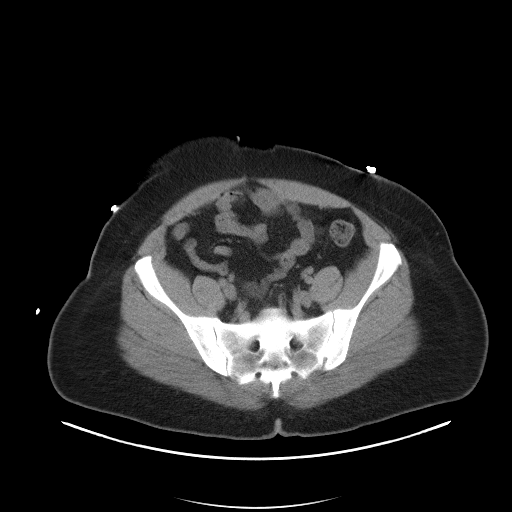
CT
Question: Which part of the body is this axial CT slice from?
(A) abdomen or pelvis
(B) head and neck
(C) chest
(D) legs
Answer: (A) abdomen or pelvis
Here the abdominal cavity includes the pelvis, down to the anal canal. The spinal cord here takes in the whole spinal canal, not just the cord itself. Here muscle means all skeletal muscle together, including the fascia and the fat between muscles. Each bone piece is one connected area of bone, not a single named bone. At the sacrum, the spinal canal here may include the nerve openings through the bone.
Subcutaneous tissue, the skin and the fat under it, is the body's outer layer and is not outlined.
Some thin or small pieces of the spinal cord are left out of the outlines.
{"abdominal_cavity":[[[247,182],[267,186],[284,199],[349,208],[359,219],[368,247],[364,254],[344,276],[335,265],[327,265],[311,280],[309,295],[322,313],[292,317],[271,305],[245,321],[224,321],[215,315],[225,304],[220,282],[198,274],[191,283],[165,259],[168,226]]],"torso":[[[206,133],[239,136],[262,147],[280,142],[319,152],[397,181],[423,198],[443,222],[487,318],[487,359],[470,393],[345,432],[310,437],[278,433],[259,440],[165,430],[62,398],[47,371],[49,334],[61,306],[88,271],[105,221],[148,160],[177,141]]],"bones":[{"outer":[[380,242],[395,245],[401,264],[364,303],[344,361],[305,379],[293,372],[280,384],[275,399],[269,383],[239,384],[206,365],[177,315],[144,288],[134,270],[139,258],[150,255],[163,289],[189,315],[240,323],[274,306],[301,319],[353,307],[373,277]],"holes":[[[254,340],[255,340],[256,341],[257,341],[259,343],[260,343],[261,346],[260,347],[260,348],[259,348],[258,349],[257,349],[254,351],[252,351],[251,350],[250,350],[249,347],[250,346],[250,345],[251,344],[252,341],[253,341]],[[294,337],[297,338],[298,341],[299,342],[300,342],[300,343],[301,344],[300,347],[299,347],[296,349],[294,349],[293,348],[292,348],[292,347],[291,346],[291,340],[292,339],[292,338],[293,338]]]}],"muscle":[[[243,175],[320,187],[352,202],[393,232],[409,266],[411,312],[420,329],[419,345],[409,359],[314,407],[300,409],[277,399],[281,384],[293,373],[305,380],[345,361],[365,303],[390,279],[402,257],[394,243],[380,241],[372,277],[358,301],[324,311],[310,295],[312,280],[327,266],[335,266],[344,277],[365,254],[369,247],[360,219],[349,207],[284,198],[256,181],[222,190],[166,227],[167,263],[191,284],[198,275],[219,282],[224,304],[214,315],[184,312],[161,284],[150,254],[139,257],[133,270],[143,288],[176,315],[206,366],[239,385],[269,384],[274,399],[255,410],[226,407],[144,376],[122,359],[115,338],[122,321],[121,283],[136,249],[166,210],[188,192]]],"spinal_cord":[[[254,340],[255,340],[256,341],[257,341],[259,343],[260,343],[261,346],[260,347],[260,348],[259,348],[258,349],[257,349],[254,351],[252,351],[251,350],[250,350],[249,347],[250,346],[250,345],[251,344],[252,341],[253,341]],[[294,337],[297,338],[298,341],[299,342],[300,342],[300,343],[301,344],[300,347],[299,347],[296,349],[294,349],[293,348],[292,348],[292,347],[291,346],[291,340],[292,339],[292,338],[293,338]]]}